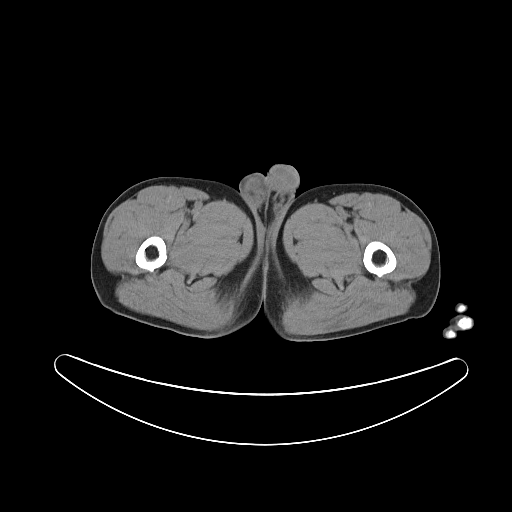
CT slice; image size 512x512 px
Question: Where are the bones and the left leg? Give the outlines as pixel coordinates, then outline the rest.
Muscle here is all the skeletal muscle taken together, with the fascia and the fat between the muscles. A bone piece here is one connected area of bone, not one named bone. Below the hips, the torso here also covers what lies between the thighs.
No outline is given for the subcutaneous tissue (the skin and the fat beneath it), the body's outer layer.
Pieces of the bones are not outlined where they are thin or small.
Answer: Outlines (x, y in pixels):
bones 1: 373 240; 378 240; 386 244; 392 250; 392 251; 394 253; 396 257; 396 265; 394 269; 392 271; 384 274; 381 277; 379 277; 377 275; 369 272; 365 268; 364 264; 363 263; 363 252; 364 251; 364 249; 366 245; 370 241; 372 241
bones 2: 152 235; 157 235; 161 237; 164 240; 165 242; 165 244; 166 245; 166 252; 167 253; 167 258; 165 262; 160 267; 155 268; 152 271; 149 271; 144 268; 141 268; 137 265; 135 261; 135 254; 140 244; 146 238
bones 3: 464 316; 468 316; 469 317; 470 317; 473 320; 473 325; 470 328; 469 328; 468 329; 464 329; 463 330; 460 330; 458 328; 458 327; 457 326; 456 326; 456 321; 458 319; 459 319; 460 318; 461 318; 462 317; 463 317
left leg: 332 183; 372 183; 387 186; 403 193; 418 205; 430 220; 437 237; 441 273; 439 291; 433 307; 423 317; 411 318; 401 323; 359 335; 329 341; 298 342; 282 339; 272 331; 263 311; 265 279; 273 248; 276 226; 295 196; 310 188
torso: 274 163; 292 165; 299 174; 300 183; 295 191; 295 195; 284 209; 275 226; 272 237; 272 248; 264 279; 264 303; 262 308; 264 269; 259 250; 260 237; 257 222; 250 206; 236 189; 239 187; 239 181; 243 176; 256 171; 264 174
left arm: 462 302; 464 302; 467 304; 465 305; 466 308; 463 311; 467 316; 470 317; 473 320; 473 325; 468 329; 457 331; 456 332; 456 335; 454 337; 446 337; 443 334; 443 329; 448 325; 449 319; 456 313; 455 306; 458 303; 461 303
right leg: 159 176; 203 178; 228 184; 235 189; 249 206; 255 218; 259 237; 258 250; 263 269; 262 305; 250 323; 229 335; 217 338; 200 338; 151 326; 112 312; 104 307; 96 296; 90 276; 90 256; 93 240; 102 215; 124 190; 140 181
muscle 1: 366 191; 386 194; 397 199; 418 215; 429 230; 430 264; 426 273; 414 285; 414 303; 403 314; 354 328; 310 335; 286 332; 280 321; 282 310; 292 296; 301 294; 308 284; 284 250; 282 237; 286 220; 295 210; 309 202; 348 192; inner edge: 373 240; 378 240; 386 244; 392 250; 392 251; 394 253; 396 257; 396 265; 394 269; 392 271; 384 274; 381 277; 379 277; 377 275; 369 272; 365 268; 364 264; 363 263; 363 252; 364 251; 364 249; 366 245; 370 241; 372 241
muscle 2: 152 185; 200 189; 233 202; 250 218; 254 233; 252 248; 248 256; 222 278; 221 287; 231 295; 236 313; 228 325; 213 330; 187 327; 134 311; 117 301; 114 295; 116 277; 105 268; 101 258; 104 226; 110 213; 119 204; 139 190, around a hole outlined by 152 235; 157 235; 161 237; 164 240; 165 242; 165 244; 166 245; 166 252; 167 253; 167 258; 165 262; 160 267; 155 268; 152 271; 149 271; 144 268; 141 268; 137 265; 135 261; 135 254; 140 244; 146 238